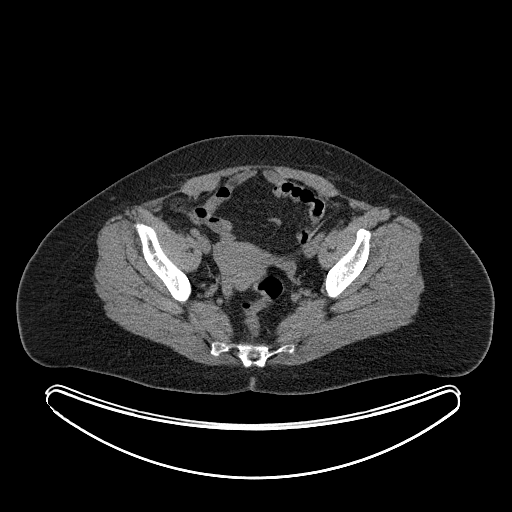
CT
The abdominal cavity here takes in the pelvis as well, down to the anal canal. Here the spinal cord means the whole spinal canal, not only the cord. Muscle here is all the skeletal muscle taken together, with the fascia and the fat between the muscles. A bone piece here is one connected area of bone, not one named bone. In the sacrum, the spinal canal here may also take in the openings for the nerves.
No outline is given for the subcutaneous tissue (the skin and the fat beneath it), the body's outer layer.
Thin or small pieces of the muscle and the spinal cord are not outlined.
The spinal cord is outlined by (250, 356) (251, 356) (252, 357) (253, 357) (254, 358) (255, 358) (256, 358) (255, 359) (254, 359) (253, 359) (252, 359) (251, 359) (250, 358) (249, 357). The muscle is outlined by (261, 163) (315, 173) (343, 193) (393, 208) (423, 227) (419, 260) (424, 289) (412, 322) (305, 363) (265, 366) (270, 357) (295, 351) (292, 342) (275, 348) (269, 344) (278, 324) (299, 304) (316, 298) (323, 284) (332, 299) (349, 286) (368, 261) (372, 237) (369, 229) (359, 227) (349, 249) (328, 269) (322, 267) (317, 257) (326, 236) (360, 214) (345, 198) (270, 168) (241, 170) (211, 190) (177, 192) (163, 200) (161, 219) (175, 232) (189, 235) (201, 250) (197, 267) (188, 273) (164, 252) (152, 226) (140, 221) (133, 225) (145, 262) (176, 301) (184, 303) (191, 295) (228, 316) (237, 342) (213, 340) (209, 352) (217, 357) (236, 349) (243, 366) (196, 362) (106, 316) (94, 287) (96, 239) (106, 220) (189, 178). The torso is outlined by (233, 134) (296, 135) (345, 148) (399, 180) (453, 225) (480, 258) (493, 288) (493, 333) (479, 365) (460, 376) (387, 376) (310, 394) (247, 390) (218, 395) (158, 389) (31, 359) (19, 337) (15, 302) (23, 270) (45, 235) (82, 203) (159, 156) (197, 140). The abdominal cavity is outlined by (248, 169) (270, 169) (304, 182) (326, 196) (345, 199) (359, 214) (325, 236) (316, 259) (328, 270) (316, 297) (290, 310) (270, 343) (236, 341) (229, 316) (192, 295) (187, 274) (198, 267) (202, 250) (189, 234) (162, 219) (161, 205) (170, 196) (211, 191) (222, 179). The bones appear in 3 outlined pieces: piece 1: (136, 222) (143, 223) (148, 226) (152, 227) (155, 230) (158, 242) (163, 252) (176, 266) (177, 266) (186, 274) (191, 285) (191, 294) (186, 301) (181, 302) (176, 300) (171, 295) (163, 281) (152, 270) (146, 262) (142, 253) (141, 241) (138, 235) (138, 233) (134, 226); piece 2: (359, 228) (364, 228) (369, 230) (371, 232) (371, 237) (369, 243) (370, 244) (369, 254) (367, 261) (360, 273) (349, 285) (336, 297) (334, 298) (329, 297) (327, 295) (325, 289) (325, 285) (324, 284) (326, 275) (329, 269) (343, 256) (353, 245) (356, 239) (356, 232); piece 3: (213, 341) (264, 343) (270, 345) (272, 349) (283, 344) (292, 343) (294, 345) (294, 351) (292, 353) (278, 352) (270, 356) (265, 361) (263, 367) (253, 364) (245, 367) (237, 356) (238, 350) (236, 348) (221, 352) (217, 356) (212, 355) (210, 350).